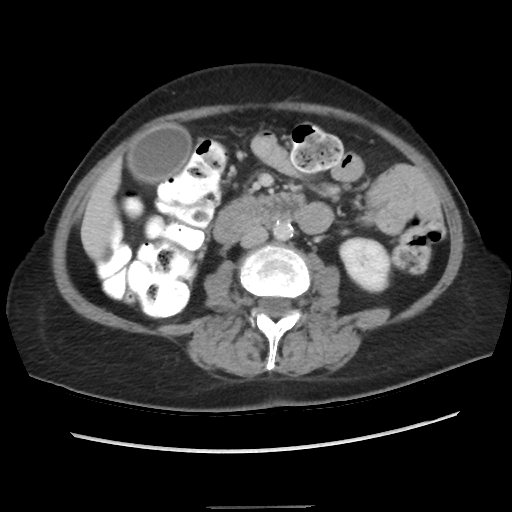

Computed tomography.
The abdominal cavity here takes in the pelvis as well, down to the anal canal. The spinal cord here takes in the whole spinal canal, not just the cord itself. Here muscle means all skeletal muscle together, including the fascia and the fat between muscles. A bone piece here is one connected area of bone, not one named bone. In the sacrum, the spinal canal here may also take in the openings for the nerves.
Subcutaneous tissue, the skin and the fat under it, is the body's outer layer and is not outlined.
The spinal cord is outlined by 265 296; 273 296; 274 297; 282 297; 283 298; 288 298; 289 299; 291 299; 291 301; 292 302; 292 305; 293 306; 292 308; 284 316; 275 320; 271 318; 264 312; 261 311; 258 306; 258 298; 260 297; 264 297. The torso is outlined by 241 62; 294 64; 338 76; 391 106; 423 134; 455 182; 483 236; 511 267; 505 313; 490 356; 359 398; 229 412; 175 411; 132 405; 78 393; 29 375; 6 313; 8 283; 14 268; 40 234; 72 172; 103 130; 154 88; 195 70. The abdominal cavity is outlined by 260 108; 360 124; 417 166; 449 234; 436 283; 394 315; 387 306; 339 315; 339 268; 313 251; 267 243; 240 258; 237 275; 231 259; 206 274; 204 305; 213 312; 185 322; 151 327; 86 297; 71 277; 68 244; 109 168; 157 126. The bones are outlined by 267 244; 285 246; 300 252; 305 258; 310 274; 309 288; 296 298; 294 302; 301 316; 278 341; 274 367; 270 370; 266 369; 269 351; 268 339; 256 325; 251 325; 249 321; 250 312; 256 299; 241 285; 238 277; 241 258; 249 251 with a hole at 265 296; 273 296; 274 297; 282 297; 283 298; 288 298; 289 299; 291 299; 291 301; 292 302; 292 305; 293 306; 292 308; 284 316; 275 320; 271 318; 264 312; 261 311; 258 306; 258 298; 260 297; 264 297. The muscle is outlined by 259 102; 261 103; 267 103; 268 102; 309 102; 310 103; 329 105; 358 114; 366 119; 386 128; 408 143; 411 144; 429 159; 440 173; 449 189; 456 206; 459 210; 462 221; 462 231; 463 232; 463 241; 464 242; 462 259; 457 275; 453 280; 453 282; 447 289; 436 298; 424 311; 418 315; 416 315; 414 317; 399 323; 385 325; 369 330; 364 336; 355 355; 349 361; 339 369; 330 371; 324 374; 320 374; 314 376; 290 377; 276 372; 265 371; 262 374; 253 377; 248 377; 247 376; 244 378; 220 377; 209 371; 206 371; 196 365; 179 345; 165 337; 150 335; 149 334; 143 334; 142 333; 136 333; 135 332; 129 332; 120 328; 114 328; 98 323; 80 315; 74 311; 61 296; 57 289; 53 278; 52 268; 51 267; 51 255; 52 254; 51 248; 52 247; 52 241; 54 236; 54 232; 62 210; 80 180; 100 159; 103 158; 122 140; 133 133; 144 123; 162 115; 190 108; 207 106; 208 105; 242 104; 243 103; 258 103 with a hole at 260 108; 379 135; 425 174; 449 234; 439 279; 394 315; 387 306; 339 315; 340 270; 308 252; 301 316; 270 370; 268 339; 249 321; 256 299; 231 259; 203 278; 213 312; 155 327; 91 301; 67 263; 93 189; 142 135.